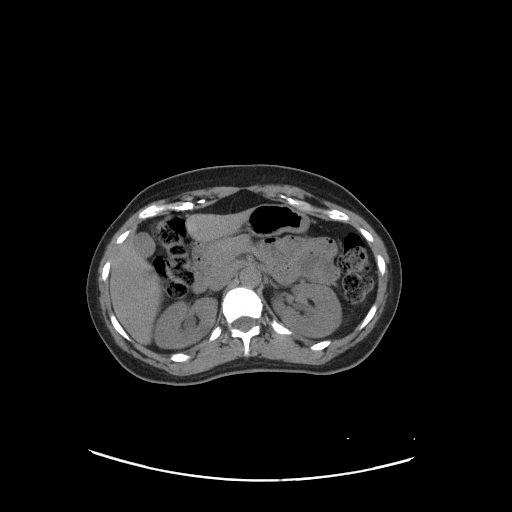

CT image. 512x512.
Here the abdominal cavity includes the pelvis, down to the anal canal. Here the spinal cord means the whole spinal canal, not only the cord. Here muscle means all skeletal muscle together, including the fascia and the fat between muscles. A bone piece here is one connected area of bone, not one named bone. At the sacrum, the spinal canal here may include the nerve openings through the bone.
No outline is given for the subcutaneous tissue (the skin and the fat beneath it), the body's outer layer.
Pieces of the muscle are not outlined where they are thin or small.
{"muscle":[{"outer":[[270,183],[272,184],[287,184],[292,186],[296,186],[322,199],[325,199],[328,201],[333,202],[342,207],[344,207],[361,216],[372,227],[380,237],[386,248],[387,253],[389,256],[391,276],[390,277],[390,284],[389,285],[389,291],[387,296],[386,305],[378,322],[374,326],[372,330],[363,339],[359,341],[353,346],[333,357],[325,363],[323,364],[319,364],[318,365],[315,365],[314,364],[305,364],[304,363],[294,363],[293,362],[287,362],[286,361],[278,360],[277,359],[260,358],[255,356],[254,357],[240,357],[234,360],[231,360],[216,365],[210,369],[198,373],[194,373],[189,375],[174,375],[161,368],[153,366],[138,358],[136,358],[131,354],[123,350],[115,342],[112,335],[105,324],[102,315],[102,312],[99,306],[99,300],[98,299],[98,293],[97,292],[97,270],[99,267],[100,261],[103,256],[103,254],[108,243],[118,229],[132,214],[147,204],[156,200],[172,197],[185,191],[195,190],[196,189],[202,189],[203,188],[208,188],[214,186],[248,186],[249,185],[254,185],[255,184],[269,184]],"hole":[[242,190],[285,204],[279,196],[283,194],[320,208],[337,209],[349,216],[348,224],[368,231],[373,237],[368,243],[373,254],[380,254],[385,263],[384,274],[378,274],[373,302],[377,307],[372,318],[361,329],[357,325],[320,350],[310,348],[316,342],[311,339],[274,331],[271,321],[276,318],[264,307],[260,333],[250,339],[248,356],[244,355],[242,340],[230,335],[222,313],[216,323],[222,327],[221,334],[212,341],[206,337],[183,351],[190,355],[185,361],[173,361],[170,353],[127,340],[110,320],[113,311],[108,281],[101,279],[104,264],[108,260],[112,263],[120,247],[117,238],[126,230],[133,232],[144,220],[138,214],[151,204],[205,199],[195,205],[197,209]]}],"spinal_cord":[[[243,316],[246,316],[247,317],[250,317],[255,320],[255,324],[254,325],[253,325],[248,330],[247,330],[246,331],[243,331],[242,330],[240,330],[233,326],[233,323],[234,322],[234,321],[235,321],[238,318],[239,318],[240,317],[242,317]]],"torso":[[[260,163],[300,168],[339,183],[357,197],[386,228],[399,254],[402,285],[397,309],[385,333],[374,350],[359,364],[328,375],[252,372],[223,376],[193,385],[161,384],[136,377],[110,353],[89,314],[86,279],[100,238],[129,201],[158,180],[201,167]]],"bones":[{"outer":[[237,286],[244,286],[251,288],[255,291],[259,296],[263,305],[260,333],[257,335],[254,335],[250,339],[249,341],[249,355],[248,356],[245,356],[244,355],[244,345],[242,340],[239,337],[232,337],[230,335],[221,308],[221,303],[226,292],[228,290]],"hole":[[243,316],[246,316],[247,317],[250,317],[255,320],[255,324],[254,325],[253,325],[248,330],[247,330],[246,331],[243,331],[242,330],[240,330],[233,326],[233,323],[234,322],[234,321],[235,321],[238,318],[239,318],[240,317],[242,317]]},[[199,199],[205,199],[205,202],[201,204],[196,204],[195,207],[192,209],[181,210],[180,211],[169,210],[165,211],[158,215],[145,219],[141,219],[138,217],[138,214],[140,211],[151,204],[159,205],[160,204],[170,203],[176,201],[195,202]],[[280,194],[283,194],[286,196],[298,200],[307,201],[314,206],[320,208],[324,209],[337,209],[348,215],[350,218],[346,222],[338,220],[332,220],[326,215],[320,212],[317,211],[308,212],[299,209],[294,205],[288,203],[283,198],[281,198],[279,196]],[[111,313],[113,313],[114,314],[115,317],[119,322],[120,325],[123,328],[123,329],[126,332],[126,333],[131,338],[131,339],[132,340],[131,341],[129,341],[128,340],[127,340],[115,329],[115,328],[113,326],[113,325],[110,320],[110,314]],[[273,319],[276,319],[276,320],[278,322],[279,322],[281,324],[282,324],[287,328],[288,328],[289,329],[290,329],[293,332],[292,333],[292,334],[280,334],[279,333],[277,333],[275,331],[274,331],[272,329],[272,328],[271,327],[271,321]],[[374,303],[375,303],[376,304],[376,306],[377,307],[376,308],[376,311],[375,312],[374,315],[372,317],[372,318],[361,329],[358,329],[358,326],[360,324],[360,323],[362,321],[362,320],[368,312],[368,311],[371,307],[371,306]],[[376,254],[380,254],[382,256],[382,257],[384,260],[384,262],[385,263],[385,272],[383,275],[380,275],[380,274],[378,271],[378,267],[377,266],[377,263],[376,262],[376,257],[375,256],[375,255]],[[179,352],[182,352],[183,353],[185,353],[186,354],[188,354],[189,355],[190,355],[190,358],[189,359],[188,359],[187,360],[186,360],[185,361],[173,361],[172,360],[171,360],[170,359],[170,356],[171,355],[171,354],[172,354],[173,353],[178,353]],[[327,339],[329,339],[330,340],[331,340],[331,342],[326,347],[325,347],[323,349],[321,349],[320,350],[312,350],[310,348],[310,346],[311,345],[312,345],[313,344],[314,344],[316,342],[318,342],[319,341],[321,341],[322,340],[326,340]],[[217,325],[220,325],[222,327],[222,332],[221,333],[221,334],[217,338],[216,338],[214,340],[213,340],[212,341],[209,341],[208,340],[208,338],[209,337],[209,336],[210,335],[210,334],[211,333],[211,332],[212,331],[212,330]],[[108,260],[109,260],[110,261],[110,267],[109,268],[109,273],[108,274],[108,276],[107,277],[107,280],[105,282],[104,281],[103,281],[101,279],[101,273],[102,272],[102,269],[103,268],[103,266],[104,265],[104,264]],[[359,227],[361,227],[362,228],[363,228],[364,229],[365,229],[367,231],[368,231],[371,234],[371,235],[373,237],[373,241],[372,242],[368,242],[367,241],[367,240],[362,235],[362,234],[358,230],[358,228]],[[126,230],[130,230],[130,232],[129,233],[129,234],[127,236],[127,237],[120,244],[117,244],[116,243],[116,240],[117,239],[117,238],[123,232],[124,232]]],"abdominal_cavity":[[[242,190],[357,229],[371,248],[378,272],[374,301],[359,324],[346,335],[314,341],[293,333],[278,321],[251,287],[237,285],[223,295],[222,313],[209,335],[188,349],[164,353],[136,342],[113,312],[108,290],[111,264],[120,245],[146,219],[205,207]]]}